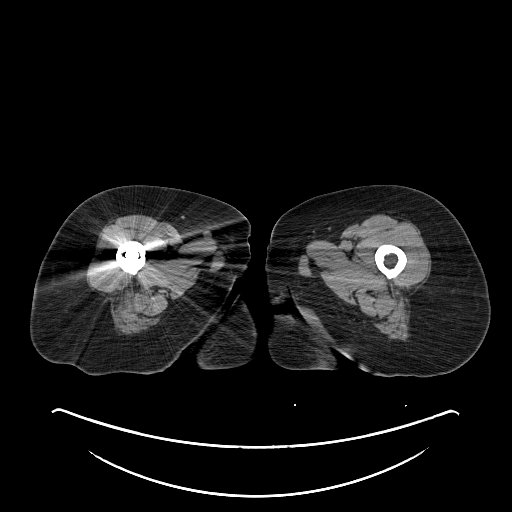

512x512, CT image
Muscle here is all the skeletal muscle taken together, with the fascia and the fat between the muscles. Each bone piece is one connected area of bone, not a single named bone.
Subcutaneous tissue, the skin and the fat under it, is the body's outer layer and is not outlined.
{"muscle":[{"outer":[[129,214],[152,216],[158,222],[166,223],[183,232],[205,227],[213,231],[223,244],[225,258],[218,272],[193,287],[181,302],[158,324],[136,334],[124,335],[113,320],[110,301],[91,288],[86,279],[89,263],[98,258],[96,250],[98,231],[112,218]],"hole":[[128,240],[135,240],[136,241],[138,241],[142,244],[143,244],[147,248],[147,250],[145,253],[145,263],[144,265],[141,268],[140,268],[135,274],[130,274],[124,271],[116,263],[115,261],[115,254],[119,245],[121,243],[125,241],[127,241]]},{"outer":[[377,213],[401,217],[415,224],[420,230],[431,256],[430,274],[423,286],[411,296],[410,327],[407,340],[388,340],[382,337],[343,303],[338,301],[320,280],[304,276],[297,267],[298,257],[305,251],[305,245],[312,238],[334,241],[348,225],[360,222]],"hole":[[382,244],[392,244],[393,245],[395,245],[401,248],[406,255],[407,261],[406,262],[406,264],[404,268],[398,274],[398,275],[394,278],[391,278],[390,279],[387,278],[386,276],[379,270],[379,269],[376,265],[375,259],[374,258],[375,251],[376,249]]}],"left_leg":[[[370,184],[408,186],[439,200],[459,221],[481,263],[491,305],[489,327],[473,356],[449,373],[427,377],[374,375],[337,352],[340,365],[337,369],[293,370],[280,367],[268,355],[267,328],[276,309],[268,303],[264,267],[274,224],[287,210],[311,197]]],"bones":[[[382,244],[392,244],[393,245],[395,245],[401,248],[406,255],[407,261],[406,262],[406,264],[404,268],[398,274],[398,275],[394,278],[391,278],[390,279],[387,278],[386,276],[379,270],[379,269],[376,265],[375,259],[374,258],[375,251],[376,249]],[[128,240],[135,240],[136,241],[138,241],[142,244],[143,244],[147,248],[147,250],[145,253],[145,263],[144,265],[141,268],[140,268],[135,274],[130,274],[124,271],[116,263],[115,261],[115,254],[119,245],[121,243],[125,241],[127,241]]],"right_leg":[[[131,184],[211,196],[232,205],[250,222],[250,260],[223,306],[227,310],[240,292],[255,319],[259,345],[248,363],[201,369],[195,365],[194,354],[184,351],[161,372],[92,375],[70,364],[50,362],[34,348],[29,335],[34,284],[57,230],[88,197]]]}